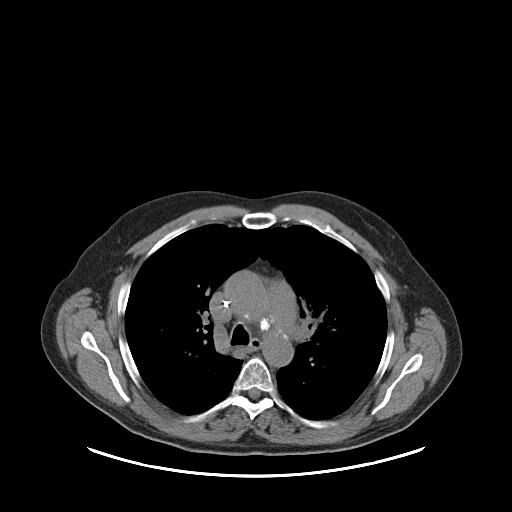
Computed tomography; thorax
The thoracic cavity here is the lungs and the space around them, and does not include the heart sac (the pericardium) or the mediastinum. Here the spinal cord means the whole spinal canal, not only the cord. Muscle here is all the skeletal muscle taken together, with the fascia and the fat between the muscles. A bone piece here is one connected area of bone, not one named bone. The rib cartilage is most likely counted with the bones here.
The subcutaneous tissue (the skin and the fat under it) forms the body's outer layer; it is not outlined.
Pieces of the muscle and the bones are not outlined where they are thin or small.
{"bones":[{"outer":[[252,357],[259,357],[264,362],[279,396],[297,414],[309,420],[337,420],[338,424],[326,428],[314,428],[302,423],[275,404],[264,409],[251,420],[242,407],[230,404],[201,421],[183,422],[181,419],[184,416],[202,413],[223,400],[231,392],[243,364]],"hole":[[252,388],[256,388],[257,389],[258,389],[261,392],[261,394],[260,395],[260,397],[258,399],[257,399],[256,400],[252,400],[248,396],[248,395],[247,394],[247,391],[248,391],[250,389],[251,389]]},[[255,211],[269,211],[275,214],[279,219],[285,215],[314,218],[322,225],[328,224],[336,232],[348,240],[358,252],[356,253],[344,244],[322,233],[312,226],[298,223],[293,219],[287,222],[279,221],[265,228],[248,228],[242,225],[241,218],[245,213]],[[86,330],[89,331],[92,334],[98,348],[108,358],[112,371],[117,377],[123,391],[130,398],[130,401],[129,402],[126,402],[116,390],[109,376],[107,365],[104,359],[95,351],[88,349],[82,345],[80,340],[81,339],[81,336],[83,332]],[[418,352],[421,353],[422,355],[422,361],[420,366],[415,371],[405,374],[400,379],[400,380],[392,389],[390,397],[386,404],[372,415],[371,414],[372,409],[377,406],[382,401],[386,393],[387,388],[400,374],[401,370],[405,363],[415,353],[417,353]],[[119,334],[121,334],[127,341],[128,347],[132,356],[133,361],[142,379],[142,381],[140,384],[141,385],[141,388],[139,388],[135,384],[133,380],[130,377],[125,367],[124,361],[122,358],[120,352],[120,349],[119,348],[119,345],[118,344],[118,336]],[[390,329],[393,330],[394,332],[394,341],[393,342],[393,348],[391,352],[391,356],[382,377],[380,379],[379,382],[375,385],[374,384],[374,379],[373,377],[378,367],[378,365],[380,362],[383,353],[383,350],[385,345],[385,341],[387,336],[387,332]],[[193,218],[195,218],[197,220],[197,224],[195,227],[191,228],[179,234],[177,236],[172,238],[169,241],[162,245],[147,258],[144,259],[145,255],[147,253],[147,252],[158,240],[159,240],[168,232],[183,225],[189,220]],[[127,280],[130,280],[131,281],[131,285],[130,286],[130,289],[129,290],[129,294],[127,298],[127,303],[126,304],[126,307],[125,308],[125,312],[123,315],[121,315],[119,316],[117,314],[117,300],[118,299],[119,290],[120,289],[120,287],[121,285]],[[376,268],[377,268],[382,273],[382,274],[384,276],[384,277],[388,284],[388,286],[389,287],[389,302],[388,303],[386,303],[381,292],[379,290],[379,289],[376,284],[376,281],[375,280],[375,278],[374,277],[374,275],[373,274],[373,272]]],"muscle":[{"outer":[[283,203],[321,208],[353,228],[384,258],[401,287],[438,316],[446,336],[445,361],[435,383],[413,406],[337,443],[275,443],[251,431],[234,441],[198,442],[161,431],[102,401],[66,364],[55,325],[68,297],[165,223],[196,208],[233,204],[253,211],[245,212],[240,222],[197,226],[195,217],[189,219],[158,239],[133,280],[120,285],[116,314],[123,316],[125,337],[119,333],[117,344],[124,367],[139,389],[143,382],[186,424],[230,405],[242,408],[251,421],[275,405],[308,427],[337,426],[340,422],[333,418],[372,379],[376,386],[390,362],[395,341],[387,324],[390,287],[383,273],[377,267],[372,271],[358,249],[328,223],[302,215],[279,218],[270,211]],"holes":[[[86,330],[89,331],[92,334],[98,348],[108,358],[112,371],[117,377],[123,391],[130,398],[130,401],[129,402],[126,402],[116,390],[109,376],[107,365],[104,359],[95,351],[88,349],[82,345],[80,340],[81,339],[81,336],[83,332]],[[418,352],[421,353],[422,355],[422,361],[420,366],[415,371],[405,374],[400,379],[400,380],[392,389],[390,397],[386,404],[372,415],[371,414],[372,409],[377,406],[382,401],[386,393],[387,388],[400,374],[401,370],[405,363],[415,353],[417,353]]]}],"thoracic_cavity":[[[213,223],[307,225],[367,264],[386,305],[387,331],[371,380],[345,411],[309,419],[280,396],[273,378],[302,341],[298,298],[283,272],[259,256],[232,272],[209,301],[213,348],[242,361],[230,392],[184,415],[143,381],[125,332],[132,282],[162,246]]],"torso":[[[187,190],[213,190],[249,198],[299,190],[325,191],[355,201],[382,217],[444,292],[456,316],[462,359],[443,394],[397,433],[352,449],[305,455],[186,451],[133,433],[86,401],[62,379],[44,353],[40,324],[47,301],[82,252],[123,213],[151,199]]],"spinal_cord":[[[252,388],[256,388],[257,389],[258,389],[261,392],[261,394],[260,395],[260,397],[258,399],[257,399],[256,400],[252,400],[248,396],[248,395],[247,394],[247,391],[248,391],[250,389],[251,389]]],"mediastinum":[[[258,257],[267,260],[282,272],[297,298],[299,314],[298,333],[301,341],[296,346],[291,361],[281,367],[274,378],[268,366],[259,356],[252,356],[243,363],[241,359],[217,352],[213,343],[214,324],[210,315],[210,301],[213,293],[232,273],[251,264]]]}